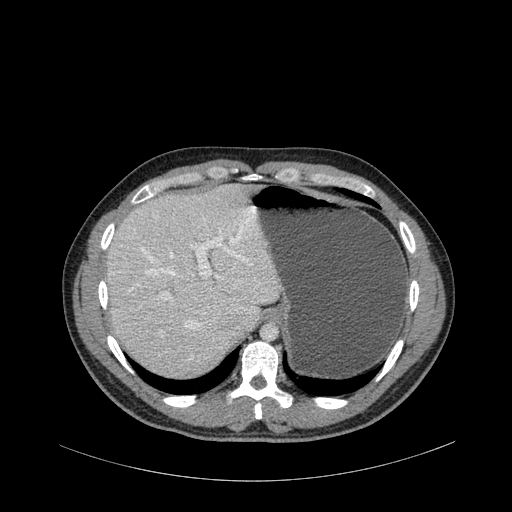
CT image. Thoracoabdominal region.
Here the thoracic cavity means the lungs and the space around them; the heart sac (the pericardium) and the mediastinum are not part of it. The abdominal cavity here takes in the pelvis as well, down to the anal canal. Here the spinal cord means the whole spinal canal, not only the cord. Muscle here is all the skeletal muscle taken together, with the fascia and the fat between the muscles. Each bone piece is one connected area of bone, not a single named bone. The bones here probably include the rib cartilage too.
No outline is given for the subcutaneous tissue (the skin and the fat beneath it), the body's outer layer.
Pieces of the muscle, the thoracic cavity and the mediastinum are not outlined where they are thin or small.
{"muscle":[[[276,434],[325,426],[364,411],[421,359],[435,341],[445,316],[439,262],[416,221],[359,175],[327,164],[268,161],[253,168],[223,158],[173,168],[126,194],[94,225],[74,279],[72,304],[77,330],[89,352],[136,396],[188,424],[242,430],[257,421],[254,401],[242,396],[230,405],[226,403],[226,391],[238,383],[234,370],[217,387],[198,395],[195,404],[169,406],[161,400],[168,394],[130,374],[108,348],[105,337],[113,334],[107,311],[97,296],[105,259],[100,237],[109,222],[116,224],[133,206],[129,200],[141,186],[215,164],[240,169],[228,178],[257,172],[264,179],[274,179],[273,175],[287,166],[298,168],[303,175],[317,171],[348,175],[376,191],[375,200],[398,229],[397,221],[403,219],[413,232],[416,251],[408,258],[411,279],[416,278],[420,286],[419,300],[412,313],[408,310],[400,334],[405,339],[404,347],[393,367],[377,383],[371,380],[340,396],[348,398],[349,403],[334,410],[317,407],[292,383],[290,387],[280,384],[294,395],[292,405],[281,408],[274,399],[265,397],[259,420]]],"torso":[[[268,443],[309,442],[362,429],[392,411],[412,393],[435,362],[452,323],[455,286],[448,254],[428,219],[407,195],[377,167],[353,154],[309,146],[215,145],[160,153],[132,169],[99,200],[68,249],[61,286],[70,339],[98,387],[139,421],[204,441]]],"thoracic_cavity":[[[173,394],[192,394],[193,393],[199,394],[217,386],[231,373],[236,365],[239,357],[239,347],[236,348],[230,353],[211,372],[204,376],[192,380],[170,380],[162,378],[148,372],[126,356],[128,361],[135,370],[136,373],[142,379],[160,390]],[[311,396],[314,395],[339,396],[350,393],[363,386],[372,379],[380,369],[381,366],[378,366],[359,376],[343,380],[326,380],[310,378],[305,376],[296,376],[287,365],[286,354],[283,352],[282,361],[280,366],[282,367],[287,375],[287,377],[298,388]],[[378,208],[380,208],[380,206],[377,202],[372,199],[370,199],[361,194],[359,194],[356,192],[354,192],[345,188],[335,187],[338,191],[346,195],[348,195],[350,197],[353,197],[356,199],[364,201],[366,203],[369,203],[371,205],[373,205],[375,207]]],"bones":[{"outer":[[258,420],[262,417],[260,401],[265,396],[274,398],[281,407],[289,407],[294,399],[290,392],[279,386],[280,383],[291,385],[279,366],[279,352],[261,340],[243,347],[239,358],[239,383],[225,396],[228,404],[236,397],[250,396],[255,401],[254,415]],"hole":[[256,389],[259,389],[260,388],[261,388],[262,387],[265,386],[265,385],[266,384],[266,383],[265,382],[265,380],[261,375],[258,375],[257,376],[255,376],[251,380],[251,381],[250,382],[251,385],[254,388],[255,388]]},[[134,205],[155,195],[156,193],[168,187],[196,183],[201,181],[205,177],[213,179],[227,178],[230,174],[238,173],[239,169],[236,167],[227,168],[215,165],[208,167],[203,172],[192,171],[154,180],[141,187],[134,194],[130,200],[130,202]],[[373,199],[375,198],[376,193],[369,185],[358,179],[348,176],[335,176],[321,172],[309,173],[303,176],[298,169],[293,167],[283,168],[279,170],[274,175],[275,179],[283,183],[291,182],[300,183],[302,179],[305,179],[312,185],[333,185],[345,187]],[[375,382],[377,382],[392,367],[392,366],[394,364],[395,361],[397,359],[398,356],[400,354],[401,352],[401,350],[403,347],[403,344],[404,343],[404,339],[403,338],[401,337],[399,338],[394,344],[386,360],[384,362],[381,369],[374,377],[373,380]],[[327,409],[334,409],[335,408],[339,408],[340,407],[342,407],[346,405],[348,403],[348,399],[346,398],[339,398],[338,397],[325,397],[324,396],[314,396],[313,397],[311,397],[310,399],[317,406],[319,407],[321,407],[322,408],[326,408]],[[177,407],[186,407],[187,406],[189,406],[195,403],[197,401],[197,395],[196,394],[193,394],[192,395],[173,395],[172,394],[169,394],[167,396],[165,396],[163,397],[162,398],[162,400],[163,402],[169,405],[171,405],[172,406],[176,406]],[[411,254],[413,254],[415,251],[415,241],[414,240],[414,238],[413,237],[412,232],[405,221],[403,220],[399,220],[398,221],[398,226],[399,227],[399,233],[400,234],[400,236],[402,239],[402,241],[404,244],[404,246],[407,252]],[[134,375],[135,374],[135,372],[127,361],[123,352],[119,347],[117,343],[117,341],[111,334],[108,334],[106,338],[107,339],[107,343],[109,346],[109,348],[111,350],[113,354],[116,357],[116,358],[120,362],[120,363],[130,373]],[[410,312],[412,312],[414,310],[414,309],[415,308],[415,307],[417,304],[417,301],[418,300],[418,294],[419,293],[419,286],[418,285],[418,283],[417,282],[417,280],[416,279],[412,279],[411,280],[411,282],[410,283],[410,286],[409,287],[409,311]],[[103,250],[105,250],[107,248],[107,246],[109,244],[109,242],[113,234],[113,231],[115,227],[115,224],[113,222],[111,222],[107,225],[101,237],[101,243],[100,244],[100,246]],[[103,309],[106,309],[107,308],[107,289],[106,288],[106,286],[105,285],[105,281],[104,280],[104,279],[101,279],[99,281],[99,284],[98,285],[98,296],[99,297],[99,300],[100,301],[100,303],[101,304],[101,306],[103,308]],[[242,180],[261,180],[262,179],[263,179],[263,176],[262,175],[260,175],[259,174],[258,174],[257,173],[250,173],[249,174],[244,174],[243,175],[241,175],[241,176],[240,177],[240,178]]],"abdominal_cavity":[[[170,379],[192,379],[211,371],[266,317],[280,324],[282,354],[287,354],[296,375],[343,379],[381,365],[399,337],[408,309],[409,264],[398,230],[381,208],[276,180],[200,182],[164,190],[135,205],[116,225],[106,250],[108,316],[124,353],[148,371]]],"spinal_cord":[[[256,389],[259,389],[260,388],[261,388],[262,387],[265,386],[265,385],[266,384],[266,383],[265,382],[265,380],[261,375],[258,375],[257,376],[255,376],[251,380],[251,381],[250,382],[251,385],[254,388],[255,388]]],"mediastinum":[[[281,357],[281,330],[279,327],[279,324],[278,324],[273,318],[266,318],[263,320],[261,320],[250,333],[250,335],[248,336],[240,346],[240,352],[242,347],[248,342],[255,339],[261,339],[265,341],[268,341],[272,344],[278,351],[280,352]]]}